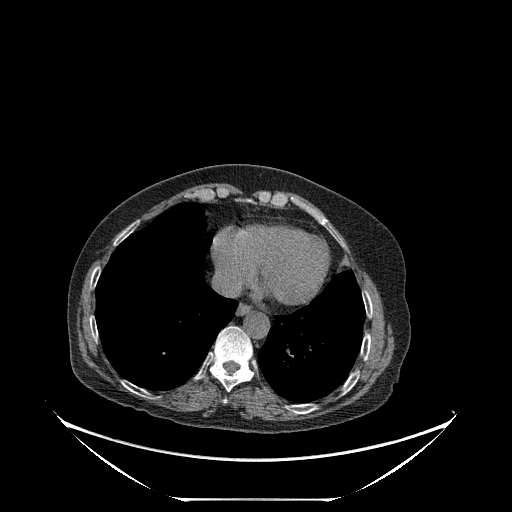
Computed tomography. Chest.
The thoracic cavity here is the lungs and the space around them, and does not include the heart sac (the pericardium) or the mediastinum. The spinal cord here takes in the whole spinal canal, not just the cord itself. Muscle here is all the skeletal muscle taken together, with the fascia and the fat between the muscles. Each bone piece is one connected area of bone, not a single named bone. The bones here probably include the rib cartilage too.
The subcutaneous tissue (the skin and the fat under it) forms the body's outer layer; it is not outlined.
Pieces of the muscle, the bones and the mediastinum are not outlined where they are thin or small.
The bones appear in 11 outlined pieces: piece 1: [[229,325],[234,325],[241,328],[248,336],[253,347],[254,356],[260,375],[258,378],[255,376],[249,382],[241,382],[235,385],[230,391],[227,392],[220,381],[208,373],[205,380],[200,379],[194,381],[191,378],[201,366],[208,352],[212,349],[219,332]] with a hole at [[230,361],[232,361],[233,362],[234,362],[236,364],[237,364],[238,365],[238,368],[233,373],[232,373],[231,374],[229,374],[228,373],[227,373],[227,371],[225,369],[225,368],[224,367],[224,364],[226,362],[229,362]]; piece 2: [[261,191],[269,191],[272,193],[281,192],[289,197],[293,196],[319,210],[329,220],[331,225],[342,238],[348,251],[344,251],[330,233],[310,214],[290,202],[284,207],[274,207],[268,203],[252,204],[236,201],[237,198],[246,197],[255,200]]; piece 3: [[217,187],[224,187],[225,188],[227,188],[229,190],[230,194],[229,196],[225,198],[218,198],[216,197],[213,201],[199,201],[196,198],[191,199],[190,198],[186,198],[184,197],[184,195],[186,193],[190,193],[198,189],[201,189],[202,188],[216,188]]; piece 4: [[120,378],[123,378],[146,390],[148,390],[153,395],[160,395],[161,396],[161,397],[160,398],[157,398],[156,399],[149,399],[148,398],[144,398],[139,395],[137,395],[136,394],[131,392],[126,388],[125,388],[119,382],[119,381],[118,380]]; piece 5: [[310,402],[316,402],[320,405],[320,407],[316,410],[314,410],[313,411],[311,411],[308,413],[305,413],[304,414],[295,414],[293,412],[286,409],[283,406],[285,404],[287,404],[288,403],[295,403],[296,404],[301,404],[302,403],[309,403]]; piece 6: [[355,367],[358,367],[360,370],[360,372],[359,373],[359,377],[356,383],[354,385],[354,386],[346,394],[345,394],[341,397],[339,397],[337,398],[337,395],[340,392],[340,390],[339,388],[346,380],[350,372]]; piece 7: [[137,218],[139,218],[140,219],[140,224],[132,233],[131,233],[125,239],[124,239],[117,246],[114,247],[112,244],[113,243],[113,241],[114,240],[114,239],[118,235],[118,234],[124,228],[125,228],[130,223],[131,223],[134,220],[135,220]]; piece 8: [[365,330],[368,330],[368,331],[370,333],[371,342],[370,343],[370,349],[369,350],[369,353],[368,354],[367,359],[365,361],[363,361],[362,359],[358,356],[360,352],[361,344],[362,343],[362,339],[363,338],[363,335],[364,334],[364,331]]; piece 9: [[362,287],[366,287],[367,288],[367,289],[370,294],[370,296],[371,297],[371,300],[372,301],[372,316],[370,319],[368,319],[366,317],[366,315],[365,314],[365,308],[364,307],[364,303],[363,302],[363,299],[362,298],[362,295],[361,294],[361,288]]; piece 10: [[97,262],[98,262],[99,264],[102,267],[102,269],[101,270],[101,272],[100,273],[99,278],[97,281],[97,283],[95,286],[95,289],[94,290],[90,290],[90,288],[89,287],[89,282],[90,281],[90,276],[91,275],[91,272],[94,266],[97,263]]; piece 11: [[90,314],[94,314],[94,316],[95,317],[95,321],[96,322],[96,325],[97,326],[97,330],[98,331],[98,335],[99,336],[99,342],[98,344],[96,344],[95,343],[91,335],[91,331],[90,330],[90,327],[89,326],[89,319],[88,318]]. The pericardium is outlined by [[243,215],[258,217],[271,215],[286,216],[309,222],[322,232],[331,249],[332,269],[329,279],[325,283],[323,289],[308,304],[291,313],[274,314],[234,297],[221,294],[211,286],[209,249],[213,241],[214,234],[220,226],[227,223],[233,218]]. The thoracic cavity appears in 2 outlined pieces: piece 1: [[186,201],[200,203],[206,221],[203,236],[205,238],[209,232],[213,234],[201,264],[204,280],[217,294],[236,300],[237,306],[189,379],[172,389],[149,390],[122,377],[106,357],[95,316],[95,290],[102,270],[116,247],[168,208]]; piece 2: [[345,256],[360,288],[365,315],[363,323],[363,334],[357,358],[352,369],[342,384],[329,394],[316,401],[301,403],[290,402],[276,393],[264,379],[260,372],[255,355],[265,343],[274,322],[274,317],[276,315],[289,315],[308,305],[337,273],[337,270]]. The torso is outlined by [[224,163],[271,166],[308,178],[363,207],[395,237],[405,261],[411,339],[399,381],[388,401],[376,410],[342,423],[304,431],[257,433],[204,428],[120,405],[86,387],[74,375],[66,321],[68,286],[76,259],[93,229],[114,207],[139,190],[176,174]]. The mediastinum appears in 2 outlined pieces: piece 1: [[226,198],[240,203],[274,208],[295,206],[310,215],[343,251],[343,259],[336,273],[326,285],[333,269],[331,246],[318,227],[303,219],[280,214],[265,216],[243,214],[220,225],[214,233],[209,231],[205,237],[207,221],[204,208],[199,202],[216,202]]; piece 2: [[237,300],[239,300],[253,307],[263,310],[269,314],[275,315],[273,317],[273,322],[268,331],[264,343],[258,349],[255,354],[252,341],[246,332],[241,327],[237,325],[234,324],[227,325],[232,319],[235,313],[236,308],[238,306],[238,301]]. The muscle appears in 2 outlined pieces: piece 1: [[332,224],[343,236],[375,283],[382,301],[385,323],[390,324],[394,339],[394,350],[389,364],[367,392],[354,402],[318,416],[284,421],[246,419],[229,405],[221,405],[212,415],[200,417],[187,411],[176,411],[152,404],[123,392],[101,377],[83,360],[78,345],[76,323],[84,278],[92,262],[117,234],[111,244],[114,249],[104,266],[97,261],[90,272],[88,287],[90,291],[94,291],[94,313],[90,313],[87,318],[94,343],[98,345],[100,342],[105,357],[121,377],[117,380],[118,382],[125,389],[144,399],[156,400],[162,396],[150,391],[172,390],[190,379],[194,382],[205,381],[208,374],[218,380],[228,393],[235,386],[249,383],[261,375],[276,394],[289,402],[282,406],[295,415],[304,415],[318,410],[321,405],[317,401],[338,388],[336,398],[343,397],[355,386],[360,377],[360,368],[354,367],[358,357],[365,362],[370,353],[372,337],[368,329],[364,330],[364,323],[366,318],[370,320],[373,316],[373,301],[368,288],[360,287],[349,261],[345,255],[344,258],[344,252],[347,253],[349,249]]; piece 2: [[204,183],[228,183],[246,193],[257,190],[279,190],[292,192],[305,198],[319,209],[293,195],[289,196],[281,191],[272,192],[269,190],[261,190],[257,194],[255,199],[253,197],[246,196],[237,197],[234,200],[228,197],[230,196],[231,192],[227,187],[202,187],[190,192],[186,192],[183,195],[183,197],[186,199],[197,200],[186,200],[178,202],[168,207],[137,229],[141,224],[141,219],[139,217],[151,207],[187,188]]. The spinal cord is outlined by [[230,361],[232,361],[233,362],[234,362],[236,364],[237,364],[238,365],[238,368],[233,373],[232,373],[231,374],[229,374],[228,373],[227,373],[227,371],[225,369],[225,368],[224,367],[224,364],[226,362],[229,362]].